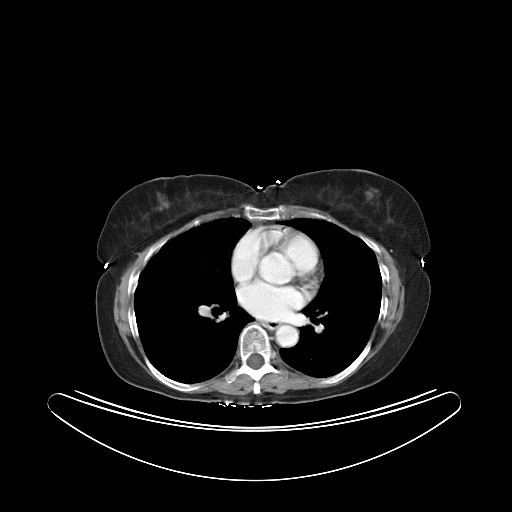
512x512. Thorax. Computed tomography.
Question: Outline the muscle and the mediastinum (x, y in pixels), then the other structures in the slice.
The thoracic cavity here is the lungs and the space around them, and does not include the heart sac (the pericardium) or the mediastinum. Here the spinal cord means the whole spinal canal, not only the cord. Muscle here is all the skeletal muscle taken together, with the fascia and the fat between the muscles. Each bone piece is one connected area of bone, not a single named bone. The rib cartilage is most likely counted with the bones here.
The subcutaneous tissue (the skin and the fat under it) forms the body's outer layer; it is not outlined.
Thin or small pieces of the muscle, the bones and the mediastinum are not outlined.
Answer: muscle 1: 375 241; 380 243; 394 259; 404 286; 402 318; 381 349; 356 372; 335 385; 322 388; 289 389; 283 393; 259 394; 261 392; 260 379; 265 374; 285 376; 288 373; 285 368; 276 365; 280 361; 294 370; 318 378; 320 384; 335 384; 353 372; 366 357; 372 346; 370 336; 374 326; 386 317; 389 301; 388 297; 382 293; 382 287; 390 282; 390 272; 386 264; 378 261; 376 257; 381 250
muscle 2: 152 243; 143 257; 143 269; 141 271; 134 268; 128 276; 126 292; 128 296; 133 296; 133 305; 127 309; 126 315; 131 335; 135 340; 140 340; 145 353; 143 360; 156 379; 148 374; 131 356; 113 317; 115 290; 123 272; 137 254
muscle 3: 235 357; 234 365; 224 374; 223 378; 228 384; 230 384; 239 375; 242 374; 248 375; 253 380; 252 393; 244 395; 233 395; 225 394; 218 391; 211 391; 204 393; 190 393; 189 392; 199 389; 203 385; 202 382; 216 376; 229 367
muscle 4: 241 203; 247 203; 243 203; 241 205; 241 208; 242 209; 241 213; 242 216; 223 216; 222 217; 218 217; 213 219; 211 218; 208 218; 207 219; 195 218; 189 223; 186 227; 186 229; 184 231; 179 233; 174 237; 169 239; 170 238; 170 235; 169 234; 167 234; 161 237; 167 233; 177 228; 179 228; 190 220; 201 214; 208 213; 220 209; 224 209; 228 207; 234 207
muscle 5: 286 204; 295 204; 296 205; 303 205; 304 206; 307 206; 308 207; 314 207; 315 208; 320 209; 323 211; 327 212; 337 220; 345 224; 350 228; 354 229; 355 230; 358 230; 366 235; 362 233; 360 233; 357 236; 354 235; 349 231; 346 230; 338 222; 337 222; 333 218; 328 215; 326 215; 325 214; 323 214; 316 211; 312 211; 311 210; 304 210; 303 209; 297 209; 296 210; 294 210
mediastinum: 300 310; 301 315; 299 316; 299 321; 301 325; 299 327; 299 339; 297 343; 292 347; 281 347; 278 350; 278 353; 272 347; 270 337; 267 331; 256 322; 252 322; 254 320; 253 317; 262 321; 275 321; 279 318; 288 317; 296 314
pericardium: 258 222; 278 223; 285 226; 289 226; 303 232; 313 240; 319 250; 323 262; 324 275; 319 289; 315 296; 307 305; 296 313; 288 316; 279 317; 275 320; 258 319; 252 315; 250 315; 238 305; 231 274; 231 254; 235 244; 250 227
spinal cord: 252 354; 258 354; 259 355; 260 355; 263 358; 263 363; 258 368; 253 368; 252 367; 251 367; 247 363; 247 360; 248 359; 248 358
torso: 330 168; 367 169; 395 180; 417 201; 429 234; 430 251; 422 260; 431 290; 426 315; 388 376; 345 395; 245 406; 171 398; 131 385; 112 371; 96 324; 96 285; 106 269; 96 257; 96 244; 120 195; 159 176; 218 174; 258 190
bones 1: 249 323; 256 323; 266 331; 271 347; 277 352; 280 359; 275 365; 287 371; 285 375; 273 372; 265 373; 259 379; 260 392; 258 394; 253 393; 254 380; 248 374; 239 374; 230 383; 224 378; 225 374; 236 363; 239 336; 243 328 with a hole at 252 354; 258 354; 259 355; 260 355; 263 358; 263 363; 258 368; 253 368; 252 367; 251 367; 247 363; 247 360; 248 359; 248 358
bones 2: 243 204; 250 204; 253 206; 265 209; 269 207; 277 206; 280 204; 285 204; 294 211; 297 210; 311 211; 328 216; 342 227; 323 219; 298 216; 270 220; 260 220; 259 219; 250 220; 243 216; 242 213; 243 210; 242 205
bones 3: 145 356; 147 357; 152 365; 166 377; 175 381; 181 383; 185 383; 186 384; 194 384; 195 383; 199 383; 201 382; 202 385; 199 388; 195 390; 191 390; 188 392; 180 391; 165 385; 159 381; 153 375; 144 360; 144 357
bones 4: 369 339; 371 340; 371 346; 370 347; 370 349; 368 353; 365 356; 365 357; 360 362; 360 363; 353 371; 352 371; 344 378; 335 383; 320 383; 319 381; 319 378; 326 378; 327 377; 332 376; 346 368; 359 355; 359 354; 366 345
bones 5: 167 235; 169 235; 169 238; 168 239; 168 240; 155 253; 154 253; 150 257; 150 258; 147 261; 147 262; 144 266; 143 265; 143 260; 144 259; 144 257; 146 255; 147 252; 149 250; 149 248; 155 242; 158 241; 161 238; 162 238
bones 6: 132 306; 133 306; 134 312; 135 313; 135 320; 136 321; 137 330; 138 331; 138 334; 139 335; 139 338; 137 338; 136 339; 135 339; 132 335; 132 333; 130 329; 130 326; 129 325; 129 322; 128 321; 128 316; 127 315; 128 309
bones 7: 134 269; 136 271; 137 270; 138 271; 140 271; 140 274; 139 275; 139 277; 137 281; 137 285; 136 286; 136 288; 135 289; 135 291; 133 295; 128 295; 128 293; 127 292; 127 288; 128 287; 128 281; 129 280; 129 276; 132 270
bones 8: 382 294; 385 295; 387 297; 387 299; 388 300; 387 302; 387 312; 386 313; 386 315; 385 317; 383 318; 379 322; 378 322; 377 321; 377 319; 379 315; 379 311; 380 310; 380 305; 381 304; 381 298; 382 297
bones 9: 380 261; 381 262; 383 262; 385 264; 389 272; 389 282; 387 284; 385 284; 384 285; 382 284; 382 279; 381 278; 381 274; 380 273; 380 270; 379 269; 379 264; 378 262
bones 10: 360 234; 362 234; 363 235; 364 235; 365 236; 370 238; 372 240; 373 240; 376 243; 376 244; 378 246; 378 247; 380 250; 380 253; 379 254; 378 254; 377 253; 375 253; 375 252; 371 248; 370 248; 359 237; 358 237; 358 236
bones 11: 195 219; 200 219; 201 220; 207 220; 208 219; 211 219; 208 221; 205 221; 204 222; 203 222; 202 223; 201 223; 199 225; 197 225; 196 226; 193 226; 192 227; 191 227; 188 229; 187 229; 187 227; 190 224; 190 223; 191 223
thoracic cavity 1: 223 217; 242 217; 249 223; 249 227; 236 241; 231 251; 230 274; 236 304; 253 320; 247 323; 240 331; 235 356; 229 366; 203 381; 194 383; 181 382; 162 373; 146 355; 136 320; 134 294; 144 267; 151 257; 169 240; 193 227
thoracic cavity 2: 298 217; 332 223; 359 238; 374 252; 381 279; 378 315; 368 340; 346 367; 326 377; 315 377; 294 369; 283 362; 279 356; 281 348; 292 348; 298 343; 302 325; 301 311; 316 296; 325 277; 323 258; 314 240; 299 229; 279 223